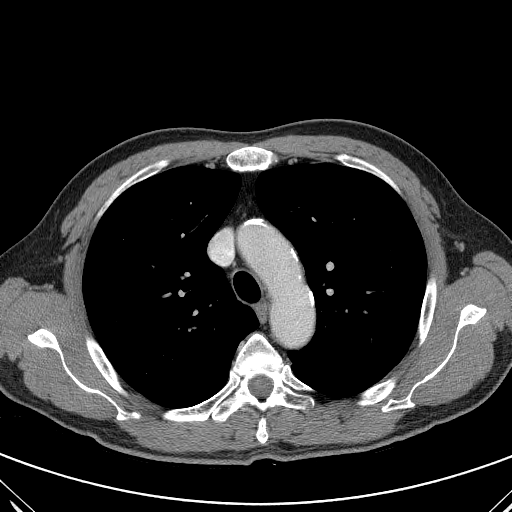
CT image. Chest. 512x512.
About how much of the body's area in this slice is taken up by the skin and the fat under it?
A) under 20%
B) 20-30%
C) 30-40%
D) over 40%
A) under 20%
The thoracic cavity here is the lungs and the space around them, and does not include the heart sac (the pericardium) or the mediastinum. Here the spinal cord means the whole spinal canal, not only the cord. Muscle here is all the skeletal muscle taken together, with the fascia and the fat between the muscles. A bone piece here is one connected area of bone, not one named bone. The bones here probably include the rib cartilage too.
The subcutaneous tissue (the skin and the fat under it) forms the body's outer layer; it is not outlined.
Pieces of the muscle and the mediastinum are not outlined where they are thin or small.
spinal cord: 258,375 263,375 264,376 269,378 272,382 272,388 271,389 271,391 269,393 269,394 264,399 260,399 259,398 258,398 256,396 255,396 253,394 252,394 252,393 249,389 249,381
mediastinum: 253,171 261,171 254,185 257,203 293,244 316,312 315,331 310,341 299,350 287,352 290,363 284,361 263,333 254,331 259,325 256,314 236,298 224,271 210,260 206,251 209,240 237,199 242,183 238,172
thoracic cavity 1: 202,163 219,165 240,175 241,183 236,199 208,240 205,251 209,260 223,271 235,298 253,311 258,325 238,344 228,378 221,388 193,405 166,408 126,383 95,338 82,291 83,266 94,229 123,192 169,168
thoracic cavity 2: 291,158 341,164 379,178 404,200 423,241 427,277 415,335 403,357 385,377 356,396 335,398 319,394 294,374 290,364 288,352 299,351 311,341 316,331 317,312 298,252 294,244 261,209 255,185 262,171
torso: 312,118 357,120 403,138 441,170 464,200 511,238 511,369 483,403 415,437 372,451 293,463 259,459 247,467 204,467 148,461 111,451 0,391 0,254 38,223 80,168 115,144 150,130 191,126 251,131
bones 1: 253,332 263,334 290,365 293,374 314,389 313,407 305,412 285,406 270,408 264,414 268,433 264,444 256,438 261,414 248,404 222,422 211,417 178,422 161,416 166,409 193,406 221,389 229,378 239,344; inner edge: 258,375 263,375 264,376 269,378 272,382 272,388 271,389 271,391 269,393 269,394 264,399 260,399 259,398 258,398 256,396 255,396 253,394 252,394 252,393 249,389 249,381
bones 2: 469,303 484,307 486,309 485,314 475,323 467,324 459,330 455,349 447,362 434,376 414,389 411,395 411,400 415,406 383,412 381,407 389,399 398,399 404,397 416,382 429,374 445,358 453,343 460,311
bones 3: 39,328 48,329 55,335 67,366 82,383 105,393 121,408 130,412 138,412 141,416 140,418 118,420 116,418 116,408 107,399 97,393 88,392 77,385 65,371 56,350 49,347 39,347 29,341 28,334
bones 4: 249,145 254,145 255,146 261,147 272,151 280,158 279,162 276,164 272,164 268,168 263,170 253,170 252,171 234,171 232,170 227,166 225,162 225,158 226,156 230,152 237,148 243,147 244,146 248,146
bones 5: 162,158 167,158 169,159 170,160 169,164 163,168 161,171 139,182 135,183 123,191 110,204 97,222 95,227 93,228 94,220 96,214 106,200 110,196 112,192 122,182 138,170 144,166 152,162 155,162
bones 6: 88,333 90,333 94,337 102,349 107,359 110,362 111,365 118,374 120,378 122,386 128,392 128,396 125,396 121,394 114,388 113,388 105,379 94,364 88,352 88,350 86,347 86,344 85,343 85,336
bones 7: 430,273 431,273 436,279 436,285 437,286 436,303 433,312 433,318 430,324 427,335 422,344 419,346 418,345 418,337 416,335 416,332 417,331 418,322 420,317 422,302 425,293 427,278
bones 8: 339,153 345,153 352,156 355,156 356,157 361,158 375,165 384,172 397,185 403,195 403,198 399,195 391,186 379,177 369,172 344,165 339,161 336,160 334,158 334,156 336,154 338,154
bones 9: 393,375 396,376 397,378 396,380 396,384 395,385 395,387 388,395 388,396 376,402 374,404 370,404 369,405 358,405 356,404 356,400 358,398 358,395 360,393 361,393 366,389 369,388 371,386
muscle: 288,134 332,134 360,139 385,149 407,165 432,194 439,208 440,217 436,220 443,241 449,282 460,271 471,265 472,257 483,250 490,250 511,264 511,332 503,331 499,334 494,343 494,360 491,369 466,394 447,403 418,407 399,422 401,426 396,430 366,442 301,446 278,442 240,451 166,452 134,442 132,436 110,421 84,417 37,397 25,387 21,379 22,375 14,365 7,360 0,360 0,284 8,277 20,276 32,285 55,283 62,286 64,256 69,248 63,247 66,238 61,234 61,223 78,203 86,188 104,170 136,152 167,142 215,139 252,144; inner edges: 249,145 272,151 280,163 340,164 334,156 345,153 375,165 401,191 437,286 424,341 419,346 415,335 384,378 397,378 388,396 358,405 357,395 315,392 305,412 275,406 264,414 264,444 256,438 261,414 248,404 222,422 178,422 121,378 128,396 113,388 86,347 94,333 82,291 96,214 122,182 162,158 170,160 163,171 226,167 230,152, then 469,303 484,307 486,309 485,314 475,323 467,324 459,330 455,349 447,362 434,376 414,389 411,395 411,400 415,406 383,412 381,407 389,399 398,399 404,397 416,382 429,374 445,358 453,343 460,311, then 39,328 48,329 55,335 67,366 82,383 105,393 121,408 130,412 138,412 141,416 140,418 118,420 116,418 116,408 107,399 97,393 88,392 77,385 65,371 56,350 49,347 39,347 29,341 28,334